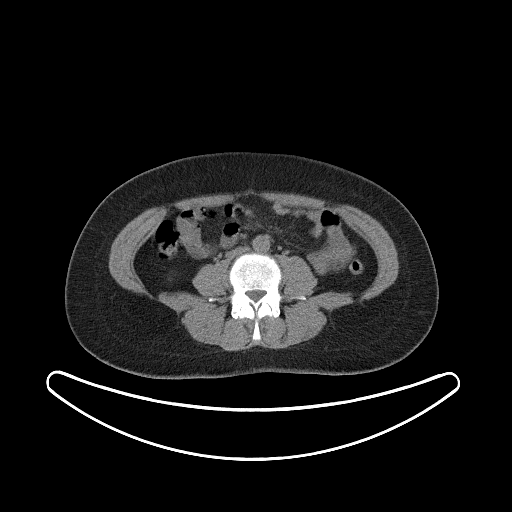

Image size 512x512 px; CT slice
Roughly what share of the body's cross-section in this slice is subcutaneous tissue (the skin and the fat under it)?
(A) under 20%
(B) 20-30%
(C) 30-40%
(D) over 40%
(D) over 40%
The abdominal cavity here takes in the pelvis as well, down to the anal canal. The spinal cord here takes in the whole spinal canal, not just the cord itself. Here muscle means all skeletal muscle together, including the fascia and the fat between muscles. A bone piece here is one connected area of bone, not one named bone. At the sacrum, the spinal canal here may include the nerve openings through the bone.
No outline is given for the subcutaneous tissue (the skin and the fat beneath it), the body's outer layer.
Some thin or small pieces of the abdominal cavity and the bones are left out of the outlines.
{"spinal_cord":[[[253,290],[260,290],[261,291],[264,291],[264,294],[259,299],[258,299],[256,301],[255,301],[254,300],[253,300],[251,298],[250,298],[247,295],[247,294],[246,293],[248,291],[252,291]]],"bones":[{"outer":[[251,252],[273,257],[281,270],[281,280],[278,285],[282,297],[279,305],[280,313],[277,317],[265,315],[259,320],[261,337],[259,340],[252,338],[253,320],[247,317],[234,318],[231,315],[229,298],[233,291],[229,281],[230,266],[235,258],[241,254]],"hole":[[253,290],[260,290],[261,291],[264,291],[264,294],[259,299],[258,299],[256,301],[255,301],[254,300],[253,300],[251,298],[250,298],[247,295],[247,294],[246,293],[248,291],[252,291]]}],"torso":[[[218,151],[289,153],[325,161],[360,174],[397,197],[419,224],[438,279],[438,309],[424,340],[408,356],[388,367],[350,375],[259,372],[219,378],[158,379],[116,369],[88,353],[67,322],[64,285],[72,250],[91,213],[114,188],[145,170],[181,157]]],"muscle":[{"outer":[[248,189],[311,196],[348,204],[369,214],[388,232],[396,248],[399,269],[395,281],[361,304],[333,310],[315,337],[287,348],[257,345],[245,350],[223,351],[196,341],[172,309],[125,289],[115,281],[108,268],[111,244],[128,222],[148,208],[201,195]],"hole":[[250,195],[336,216],[372,249],[377,271],[371,284],[356,293],[313,294],[318,279],[305,260],[278,254],[280,313],[259,320],[259,340],[252,338],[253,320],[231,315],[229,257],[198,269],[191,283],[199,295],[150,291],[134,260],[166,216]]}],"abdominal_cavity":[[[250,195],[285,207],[321,208],[336,216],[372,249],[377,271],[371,284],[356,293],[313,294],[318,279],[302,257],[278,254],[275,258],[251,251],[241,253],[231,264],[228,257],[202,265],[191,279],[199,295],[150,291],[136,272],[134,260],[166,216]]]}